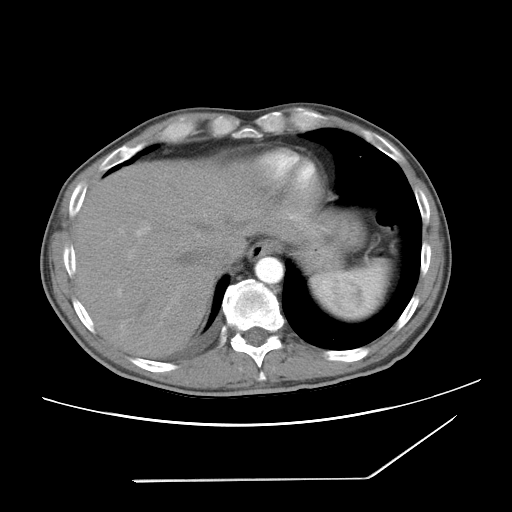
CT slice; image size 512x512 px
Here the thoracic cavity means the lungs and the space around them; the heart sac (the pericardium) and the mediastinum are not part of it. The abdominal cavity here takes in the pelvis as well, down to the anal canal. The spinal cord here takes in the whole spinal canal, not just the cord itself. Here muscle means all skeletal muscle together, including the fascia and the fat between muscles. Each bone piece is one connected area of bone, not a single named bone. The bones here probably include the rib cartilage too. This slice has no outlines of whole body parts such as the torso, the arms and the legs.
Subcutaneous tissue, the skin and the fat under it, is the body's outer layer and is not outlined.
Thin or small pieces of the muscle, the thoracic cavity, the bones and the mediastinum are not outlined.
{"muscle":[{"outer":[[386,139],[406,157],[432,196],[443,239],[444,266],[437,297],[424,321],[405,341],[376,362],[333,376],[284,380],[249,387],[192,388],[170,384],[130,371],[95,350],[76,330],[54,296],[48,250],[62,200],[75,178],[110,152],[98,166],[101,173],[88,186],[84,180],[78,182],[70,195],[68,215],[70,218],[75,216],[73,243],[66,244],[62,250],[65,270],[70,278],[74,278],[77,290],[78,298],[73,296],[70,300],[72,307],[91,333],[95,334],[97,330],[108,342],[134,356],[127,358],[131,363],[153,373],[177,369],[179,366],[173,362],[200,354],[218,336],[217,347],[221,347],[229,337],[229,329],[234,332],[229,338],[231,348],[247,354],[260,369],[269,351],[284,347],[278,331],[285,324],[307,343],[325,349],[322,354],[329,361],[361,360],[370,351],[367,344],[392,326],[397,332],[415,312],[420,298],[414,294],[414,290],[419,275],[423,277],[428,271],[432,253],[430,244],[422,240],[422,224],[427,225],[430,220],[428,199],[419,186],[412,188],[398,163],[405,160],[404,156]],"hole":[[260,370],[261,370],[264,373],[264,374],[265,375],[265,376],[266,377],[266,379],[265,380],[257,380],[257,377],[258,376],[258,375],[259,374],[259,371]]},[[195,112],[216,112],[233,115],[243,120],[255,119],[254,120],[255,126],[252,125],[243,125],[241,126],[240,121],[237,118],[230,118],[220,114],[209,120],[207,123],[207,128],[211,137],[184,140],[188,136],[195,135],[198,131],[197,130],[197,124],[192,119],[181,116],[177,120],[169,123],[162,129],[158,133],[156,141],[153,143],[147,141],[140,141],[134,145],[123,144],[155,123],[178,114],[194,113]],[[323,114],[335,115],[345,120],[355,122],[366,128],[362,128],[360,130],[360,134],[361,135],[361,136],[360,136],[351,131],[349,131],[339,127],[336,127],[335,126],[321,126],[320,127],[321,124],[325,122],[328,119],[328,117],[326,115]]],"abdominal_cavity":[[[220,144],[242,144],[233,168],[259,204],[290,212],[333,191],[340,204],[375,206],[380,222],[399,224],[400,278],[378,313],[330,317],[290,260],[256,239],[217,282],[203,332],[184,349],[135,356],[96,329],[74,277],[74,226],[90,184],[158,148]]],"mediastinum":[[[256,240],[263,240],[268,249],[272,252],[279,254],[285,260],[284,263],[285,272],[283,278],[280,301],[272,290],[265,284],[254,278],[248,277],[234,283],[230,283],[230,279],[226,277],[226,274],[230,272],[232,268],[249,252],[252,247],[252,244]],[[296,131],[306,131],[303,134],[305,138],[325,145],[334,154],[336,180],[332,191],[327,189],[328,173],[324,162],[315,151],[303,145],[269,140],[245,144],[220,143],[194,150],[159,147],[156,142],[175,143],[227,135],[234,139],[257,139],[266,133]]],"thoracic_cavity":[[[321,127],[351,132],[395,161],[421,219],[413,294],[381,335],[348,349],[313,345],[286,323],[280,302],[286,260],[324,314],[358,324],[378,314],[392,298],[401,278],[404,240],[399,223],[380,221],[379,207],[339,202],[334,191],[335,154],[304,136]],[[224,276],[227,279],[229,279],[229,283],[224,291],[220,305],[221,311],[224,316],[224,322],[220,327],[219,334],[215,341],[200,353],[179,361],[171,362],[144,358],[155,359],[171,356],[193,344],[202,335],[212,309],[212,303],[216,286],[220,279]],[[154,143],[157,143],[159,145],[156,149],[154,149],[152,151],[150,151],[143,155],[140,155],[131,163],[124,164],[117,169],[109,173],[105,173],[106,171],[112,167],[118,164],[123,163],[125,161],[130,159],[134,155],[135,155],[138,152],[147,146]]],"pericardium":[[[269,141],[281,141],[295,144],[315,152],[325,166],[327,173],[327,191],[318,191],[317,193],[314,193],[305,205],[290,211],[269,203],[259,203],[256,201],[240,186],[238,182],[238,176],[236,169],[234,168],[234,158],[238,151],[236,148],[254,142]]],"bones":[{"outer":[[248,278],[262,283],[273,292],[280,303],[281,313],[286,321],[277,331],[283,347],[269,350],[264,355],[260,368],[247,353],[232,348],[230,338],[235,332],[233,329],[228,329],[226,341],[218,347],[221,327],[225,322],[221,307],[225,291],[230,284]],"hole":[[253,327],[259,327],[260,328],[262,328],[263,329],[266,330],[268,332],[268,336],[266,338],[265,341],[260,345],[253,345],[252,344],[251,344],[250,343],[247,342],[247,341],[243,336],[243,333],[245,331],[246,331],[247,330],[248,330]]},[[295,107],[303,107],[327,117],[319,127],[314,129],[302,131],[288,123],[281,133],[266,132],[257,138],[234,138],[229,134],[214,137],[208,128],[209,121],[220,115],[237,119],[241,127],[255,127],[255,120],[258,117],[273,111],[281,111],[287,116]],[[181,117],[184,117],[186,119],[188,119],[189,120],[192,120],[196,124],[196,130],[197,132],[193,135],[188,135],[183,139],[179,141],[176,141],[175,142],[173,142],[172,141],[157,141],[157,139],[158,138],[158,135],[159,133],[169,124],[177,121]],[[140,142],[147,142],[148,143],[150,143],[150,144],[147,145],[138,151],[130,158],[125,160],[123,162],[118,163],[112,166],[105,171],[102,171],[99,169],[99,166],[104,160],[104,159],[111,152],[112,152],[118,147],[122,145],[134,146]],[[362,129],[367,129],[368,130],[370,130],[378,134],[380,136],[383,137],[403,156],[404,160],[400,162],[397,162],[391,157],[390,157],[388,155],[387,155],[385,153],[378,149],[374,145],[366,141],[362,137],[362,135],[361,134],[361,130]],[[362,346],[366,346],[369,349],[369,351],[368,353],[364,357],[363,357],[361,359],[359,359],[355,361],[341,361],[340,360],[329,360],[327,359],[323,354],[323,351],[324,350],[348,350],[349,349],[353,349],[354,348],[357,348],[358,347],[361,347]],[[129,357],[139,357],[140,358],[148,359],[149,360],[153,360],[154,361],[160,361],[161,362],[170,362],[171,363],[176,364],[178,367],[175,369],[173,369],[169,371],[163,371],[162,372],[153,372],[152,371],[144,369],[134,364],[129,360],[128,358]],[[81,181],[84,181],[87,184],[87,188],[85,192],[85,195],[83,198],[83,201],[81,204],[81,206],[78,212],[74,216],[72,217],[70,217],[69,215],[69,202],[70,201],[70,198],[71,197],[71,195],[74,189],[76,187],[78,183],[79,183]],[[413,295],[416,295],[418,296],[419,298],[419,301],[418,302],[418,304],[414,312],[412,314],[410,318],[406,322],[406,323],[400,329],[399,329],[397,331],[395,331],[393,327],[393,325],[398,319],[398,318],[406,307],[407,304],[409,302],[410,299]],[[415,187],[419,187],[423,191],[427,199],[427,201],[429,205],[429,220],[427,224],[422,223],[422,219],[421,218],[421,215],[420,214],[419,207],[418,206],[418,204],[417,203],[417,201],[416,200],[416,198],[415,197],[415,195],[413,191],[413,189]],[[73,297],[78,299],[79,301],[82,304],[82,305],[85,308],[87,313],[89,315],[89,316],[91,318],[93,322],[93,324],[94,325],[94,328],[95,329],[95,333],[93,333],[91,332],[83,324],[83,323],[80,320],[72,304],[72,301],[71,300]],[[71,244],[72,244],[73,245],[73,249],[74,250],[74,254],[75,255],[75,272],[72,277],[70,277],[69,276],[69,275],[66,270],[66,268],[65,267],[65,265],[64,264],[64,261],[63,260],[63,250],[64,249],[64,247],[66,245],[70,245]],[[422,241],[426,241],[429,244],[429,245],[430,246],[430,249],[431,250],[431,253],[430,254],[430,260],[429,261],[429,265],[428,266],[428,268],[427,269],[427,271],[426,272],[426,273],[423,276],[420,274],[420,264],[421,263],[421,247],[422,246]]],"spinal_cord":[[[253,327],[259,327],[260,328],[262,328],[263,329],[266,330],[268,332],[268,336],[266,338],[265,341],[260,345],[253,345],[252,344],[251,344],[250,343],[247,342],[247,341],[243,336],[243,333],[245,331],[246,331],[247,330],[248,330]]]}